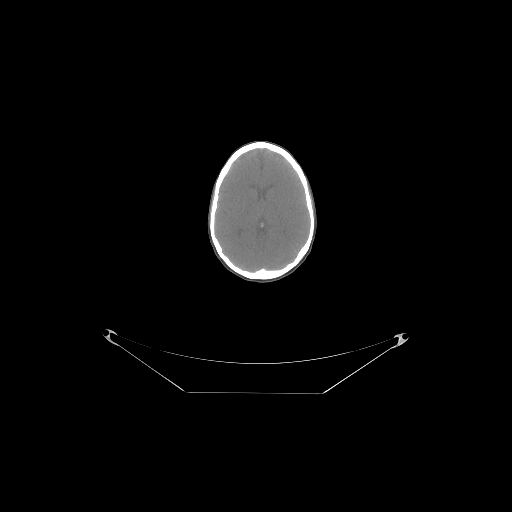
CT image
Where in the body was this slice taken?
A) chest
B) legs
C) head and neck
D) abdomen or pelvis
Answer: C) head and neck
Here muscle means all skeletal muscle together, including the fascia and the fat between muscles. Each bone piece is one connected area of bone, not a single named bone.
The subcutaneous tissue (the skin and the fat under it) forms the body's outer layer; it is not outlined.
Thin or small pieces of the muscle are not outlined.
The bones are outlined by 254 141; 267 141; 277 144; 287 150; 295 158; 308 180; 309 192; 312 198; 312 207; 314 211; 314 233; 306 253; 291 269; 277 277; 267 279; 248 278; 232 270; 218 255; 211 240; 208 225; 214 183; 220 169; 236 149; 244 144, around a hole outlined by 258 149; 267 150; 281 156; 295 172; 303 190; 305 207; 308 218; 308 228; 305 240; 290 261; 277 268; 260 267; 254 270; 250 270; 237 265; 224 252; 216 235; 215 224; 220 188; 224 178; 227 175; 233 163; 240 156; 250 151. The head is outlined by 254 140; 267 140; 274 142; 291 152; 313 184; 313 188; 317 194; 317 207; 319 212; 320 233; 317 240; 319 252; 289 277; 279 282; 267 285; 253 285; 230 276; 216 263; 206 231; 206 211; 210 191; 214 180; 230 154; 239 146. The brain is outlined by 258 149; 267 150; 281 156; 295 172; 303 190; 305 207; 308 218; 308 228; 305 240; 290 261; 277 268; 260 267; 254 270; 250 270; 237 265; 224 252; 216 235; 215 224; 220 188; 224 178; 227 175; 233 163; 240 156; 250 151. The muscle is outlined by 311 244; 311 248; 310 249; 310 250; 309 251; 309 252; 304 257; 304 256; 307 253; 307 252; 309 250; 309 249; 310 248; 310 247; 311 246.